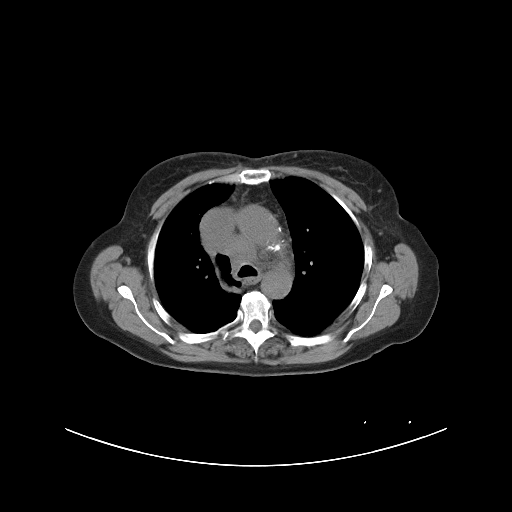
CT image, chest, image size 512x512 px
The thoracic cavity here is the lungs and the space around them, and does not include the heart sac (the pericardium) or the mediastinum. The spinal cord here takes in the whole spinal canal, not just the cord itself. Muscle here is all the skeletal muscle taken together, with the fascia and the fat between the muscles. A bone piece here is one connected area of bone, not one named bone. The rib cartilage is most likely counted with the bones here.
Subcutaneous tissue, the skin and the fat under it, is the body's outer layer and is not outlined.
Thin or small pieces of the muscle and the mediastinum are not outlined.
{"bones":[{"outer":[[252,290],[261,292],[271,302],[273,315],[277,322],[275,326],[278,331],[258,347],[256,361],[252,346],[243,337],[235,337],[225,341],[219,335],[214,339],[199,343],[186,343],[178,337],[179,332],[207,333],[215,331],[232,321],[237,315],[242,295]],"hole":[[253,320],[257,320],[258,321],[259,321],[260,322],[260,324],[261,325],[261,327],[260,328],[260,329],[259,330],[258,330],[257,331],[253,331],[250,328],[250,323]]},[[250,168],[266,168],[268,170],[275,173],[277,176],[274,178],[271,178],[268,181],[261,182],[257,184],[233,183],[230,181],[226,181],[225,183],[222,183],[221,182],[205,183],[211,179],[225,175],[228,175],[232,173],[239,173],[244,169],[249,169]],[[287,333],[289,334],[297,335],[298,336],[301,336],[302,337],[312,337],[313,336],[316,336],[321,334],[325,334],[326,333],[331,333],[334,336],[330,341],[326,343],[317,344],[312,346],[305,346],[304,345],[293,346],[291,345],[285,338],[285,334]],[[121,285],[126,285],[130,288],[133,297],[137,304],[138,309],[144,318],[156,329],[159,331],[164,332],[170,336],[175,341],[173,344],[170,343],[163,336],[156,333],[142,321],[136,313],[135,307],[133,303],[129,299],[123,297],[118,292],[117,288]],[[161,220],[164,221],[159,232],[156,242],[156,245],[155,246],[155,249],[154,250],[154,257],[153,258],[153,276],[154,277],[154,281],[151,281],[149,276],[149,271],[148,270],[148,265],[147,264],[147,248],[150,238],[156,226]],[[383,284],[388,284],[391,286],[392,291],[389,294],[383,297],[378,302],[373,315],[366,324],[360,329],[355,331],[350,336],[349,339],[346,342],[343,342],[342,341],[346,334],[351,329],[357,327],[361,324],[370,314],[373,305],[379,294],[380,289]],[[365,278],[366,279],[366,284],[367,285],[365,289],[365,292],[362,296],[359,303],[356,306],[354,310],[351,312],[349,312],[349,311],[347,309],[346,309],[346,308],[354,297],[360,285],[361,280]],[[325,187],[327,187],[329,188],[337,196],[338,196],[351,210],[351,211],[356,217],[358,221],[358,223],[360,227],[360,230],[359,231],[355,223],[353,221],[351,217],[348,214],[348,213],[342,207],[342,206],[326,190],[325,190]],[[364,241],[366,241],[367,242],[367,243],[368,244],[369,244],[371,246],[371,247],[372,248],[372,257],[371,258],[371,266],[370,267],[370,269],[369,270],[369,271],[368,272],[366,272],[365,271],[364,271],[364,247],[363,246],[363,242]],[[153,297],[155,297],[160,302],[160,303],[163,307],[163,308],[170,315],[170,316],[171,317],[171,318],[170,319],[170,325],[167,324],[160,317],[160,316],[158,314],[158,313],[155,309],[155,308],[153,305],[153,303],[152,302],[152,298]]],"muscle":[{"outer":[[238,164],[313,169],[354,190],[369,207],[360,217],[371,233],[377,259],[384,261],[401,242],[416,256],[417,287],[399,318],[356,340],[334,359],[275,365],[179,361],[121,329],[93,295],[91,265],[100,251],[114,244],[131,263],[141,264],[151,234],[146,264],[158,295],[151,302],[167,325],[172,318],[187,330],[177,333],[186,344],[219,336],[225,342],[243,338],[256,362],[259,347],[278,334],[278,323],[289,331],[284,338],[293,347],[326,344],[335,336],[323,332],[344,310],[351,313],[360,303],[368,285],[362,274],[371,269],[373,257],[373,248],[366,240],[362,241],[359,221],[346,203],[329,187],[307,178],[278,175],[266,167],[214,177],[188,193],[154,229],[148,214],[162,193],[192,173]],"holes":[[[121,285],[126,285],[130,288],[133,297],[137,304],[138,309],[144,318],[156,329],[159,331],[164,332],[170,336],[175,341],[173,344],[170,343],[163,336],[156,333],[142,321],[136,313],[135,307],[133,303],[129,299],[123,297],[118,292],[117,288]],[[383,284],[388,284],[391,286],[392,291],[389,294],[383,297],[378,302],[373,315],[366,324],[360,329],[355,331],[350,336],[349,339],[346,342],[343,342],[342,341],[346,334],[351,329],[357,327],[361,324],[370,314],[373,305],[379,294],[380,289]]]}],"thoracic_cavity":[[[286,176],[297,176],[307,179],[326,191],[354,223],[359,232],[363,247],[363,270],[353,297],[345,309],[322,333],[312,336],[291,333],[277,321],[272,306],[274,300],[282,300],[290,292],[296,274],[292,237],[286,215],[269,182],[271,179],[283,179]],[[215,183],[231,185],[232,189],[222,201],[202,216],[199,223],[200,243],[208,253],[228,258],[230,275],[239,283],[237,287],[242,294],[232,320],[215,330],[191,332],[171,316],[159,299],[154,276],[155,250],[164,222],[172,210],[192,191],[205,184]]],"torso":[[[295,149],[328,149],[354,155],[372,163],[392,185],[401,216],[419,229],[438,259],[439,295],[419,335],[330,371],[244,376],[155,365],[97,336],[84,324],[72,294],[78,262],[90,242],[120,220],[130,192],[147,169],[166,158],[193,151],[260,157]]],"mediastinum":[[[226,182],[247,185],[268,182],[285,215],[291,237],[295,274],[289,292],[282,299],[270,301],[257,289],[243,294],[238,287],[240,283],[231,275],[229,258],[220,253],[214,255],[208,252],[201,243],[200,223],[203,216],[222,202],[233,189],[233,186]]],"spinal_cord":[[[253,320],[257,320],[258,321],[259,321],[260,322],[260,324],[261,325],[261,327],[260,328],[260,329],[259,330],[258,330],[257,331],[253,331],[250,328],[250,323]]]}